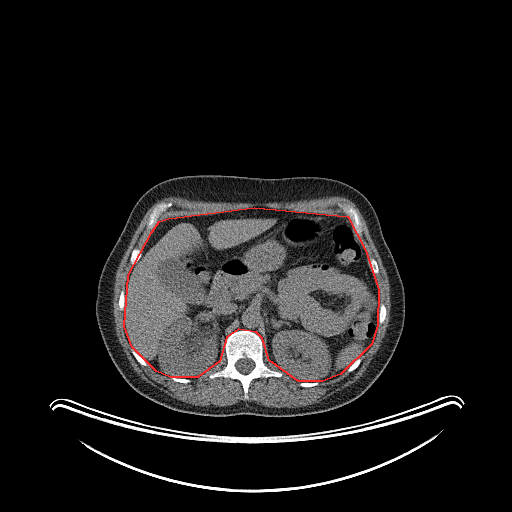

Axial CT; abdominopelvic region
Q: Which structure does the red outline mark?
A: red: abdominal cavity.
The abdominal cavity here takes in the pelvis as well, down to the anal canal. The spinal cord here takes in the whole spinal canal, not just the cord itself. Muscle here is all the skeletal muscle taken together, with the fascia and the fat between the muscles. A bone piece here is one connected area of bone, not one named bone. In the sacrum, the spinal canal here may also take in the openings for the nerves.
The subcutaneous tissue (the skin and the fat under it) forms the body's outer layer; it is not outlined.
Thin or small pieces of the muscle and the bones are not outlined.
{"abdominal_cavity":[[[254,207],[347,216],[365,250],[378,289],[377,325],[371,344],[340,374],[322,381],[298,381],[269,360],[262,338],[256,332],[238,329],[226,337],[219,361],[197,377],[170,377],[156,371],[132,347],[124,326],[128,275],[152,231],[159,221],[168,218]]],"spinal_cord":[[[245,358],[247,358],[248,359],[250,359],[251,360],[252,360],[254,363],[254,367],[248,373],[247,373],[246,374],[244,374],[243,373],[241,373],[236,368],[236,367],[235,366],[235,364],[237,362],[237,361],[238,361],[240,359],[244,359]]],"torso":[[[200,174],[255,178],[326,177],[351,185],[369,200],[402,280],[405,318],[399,341],[389,362],[359,397],[340,407],[306,415],[198,415],[173,410],[144,397],[130,387],[119,373],[103,343],[95,316],[97,284],[103,265],[133,206],[148,189],[170,178]]],"bones":[{"outer":[[238,330],[249,330],[256,333],[262,341],[264,363],[270,369],[280,371],[282,373],[280,377],[269,376],[254,378],[248,387],[248,399],[244,398],[243,387],[239,380],[221,376],[213,378],[209,377],[210,374],[221,370],[227,364],[225,342],[232,332]],"hole":[[245,358],[247,358],[248,359],[250,359],[251,360],[252,360],[254,363],[254,367],[248,373],[247,373],[246,374],[244,374],[243,373],[241,373],[236,368],[236,367],[235,366],[235,364],[237,362],[237,361],[238,361],[240,359],[244,359]]},[[339,204],[349,204],[357,211],[359,216],[359,219],[362,224],[362,226],[361,227],[362,228],[361,236],[358,236],[356,234],[356,232],[354,230],[354,228],[353,227],[352,220],[348,217],[347,215],[346,215],[342,208],[340,207]],[[161,202],[171,202],[172,204],[170,207],[169,207],[165,211],[164,211],[160,214],[160,215],[157,219],[157,222],[153,229],[152,230],[148,230],[146,226],[147,225],[147,222],[148,221],[149,216],[153,208],[156,205],[156,204],[160,203]],[[135,248],[138,248],[139,249],[140,249],[141,250],[141,255],[140,256],[140,257],[139,258],[139,259],[133,265],[132,265],[130,263],[130,256],[131,255],[131,254],[132,253],[132,251]],[[381,303],[382,303],[385,306],[385,310],[386,311],[386,313],[385,314],[385,319],[383,321],[383,322],[382,323],[379,323],[378,322],[378,315],[379,314],[379,308],[380,307],[380,304]],[[371,258],[373,258],[376,261],[376,262],[377,263],[377,265],[378,266],[378,269],[379,270],[379,271],[378,272],[378,273],[377,273],[376,274],[375,274],[370,269],[370,267],[369,266],[369,265],[368,264],[368,260],[369,259],[370,259]],[[122,290],[123,290],[124,291],[124,292],[125,293],[125,299],[124,300],[124,306],[123,307],[123,310],[121,310],[120,309],[119,309],[119,306],[118,305],[118,301],[119,300],[119,296],[120,295],[120,293],[121,292],[121,291]],[[132,349],[133,349],[144,360],[145,360],[145,361],[148,364],[147,365],[146,365],[145,366],[144,366],[143,365],[142,365],[141,364],[140,364],[138,362],[138,361],[135,358],[135,357],[133,355],[133,354],[132,353]],[[359,358],[360,358],[361,359],[361,360],[360,361],[360,363],[359,364],[359,365],[354,370],[353,370],[352,371],[351,371],[350,372],[347,372],[346,371],[347,370],[347,369],[357,359],[358,359]]],"muscle":[{"outer":[[170,196],[179,196],[183,198],[186,198],[189,200],[201,200],[202,201],[213,201],[214,202],[280,202],[281,201],[295,201],[296,200],[303,200],[304,199],[312,199],[313,198],[319,198],[324,196],[341,196],[342,197],[345,197],[352,201],[359,209],[366,222],[370,235],[385,268],[389,282],[390,304],[391,305],[390,306],[390,318],[389,319],[388,327],[386,330],[386,333],[381,341],[379,348],[373,356],[373,358],[367,366],[362,375],[356,381],[350,385],[337,392],[335,392],[319,402],[316,402],[309,405],[299,406],[298,407],[269,407],[268,406],[261,405],[258,403],[256,403],[254,401],[246,401],[245,400],[240,400],[234,404],[227,406],[215,406],[214,405],[202,406],[201,405],[194,405],[178,400],[170,396],[160,390],[157,387],[148,383],[137,374],[131,366],[127,357],[125,355],[123,348],[118,341],[118,338],[115,331],[115,323],[113,316],[113,295],[114,294],[114,290],[113,289],[115,282],[115,274],[120,263],[120,261],[125,251],[127,249],[131,238],[147,210],[158,200]],"hole":[[161,202],[172,204],[160,214],[158,222],[254,207],[345,216],[339,204],[352,206],[362,224],[359,238],[367,259],[373,258],[378,266],[374,276],[379,303],[386,311],[359,365],[308,387],[283,372],[280,377],[254,378],[245,399],[239,380],[209,377],[227,364],[224,348],[212,368],[187,383],[174,381],[149,364],[140,364],[132,353],[118,301],[121,291],[126,291],[132,251],[143,249],[152,233],[146,227],[149,216]]},[[265,347],[265,351],[266,352],[266,353],[267,354],[267,358],[268,359],[268,360],[274,366],[275,366],[275,367],[278,370],[275,370],[274,369],[272,369],[271,368],[270,368],[268,366],[267,366],[267,365],[265,363],[265,362],[264,361],[264,348]]]}